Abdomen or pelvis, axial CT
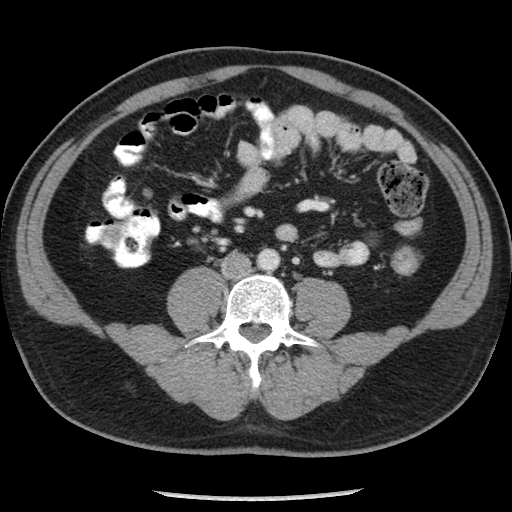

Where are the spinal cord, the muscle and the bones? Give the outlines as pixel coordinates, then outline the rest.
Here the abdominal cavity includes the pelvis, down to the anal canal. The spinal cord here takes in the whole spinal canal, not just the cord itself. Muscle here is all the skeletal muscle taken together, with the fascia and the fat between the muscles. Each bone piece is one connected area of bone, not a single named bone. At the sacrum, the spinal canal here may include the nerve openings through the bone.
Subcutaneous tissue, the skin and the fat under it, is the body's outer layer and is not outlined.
{"spinal_cord":[[[251,323],[253,323],[254,324],[263,324],[264,325],[267,325],[269,327],[270,331],[269,333],[263,339],[260,340],[256,343],[254,343],[250,341],[248,339],[247,339],[243,335],[242,335],[240,332],[240,330],[244,325],[246,325],[247,324],[250,324]]],"muscle":[{"outer":[[252,64],[302,66],[327,73],[347,84],[373,92],[385,98],[393,103],[401,110],[407,113],[434,134],[443,143],[447,145],[463,162],[470,172],[481,194],[489,216],[491,226],[492,252],[493,253],[492,255],[492,266],[486,295],[481,306],[471,317],[463,324],[455,328],[435,329],[434,330],[433,329],[428,329],[424,333],[422,333],[408,341],[400,344],[378,362],[368,367],[365,376],[350,388],[339,400],[329,401],[323,403],[309,412],[290,420],[277,419],[270,415],[258,402],[251,401],[239,416],[230,420],[222,421],[210,417],[193,403],[183,404],[175,401],[163,389],[155,383],[151,378],[147,376],[144,373],[143,368],[118,345],[110,344],[106,341],[101,340],[80,328],[61,326],[59,324],[48,321],[33,310],[27,304],[22,294],[16,266],[15,239],[16,238],[16,229],[21,209],[24,203],[26,194],[36,174],[50,155],[61,144],[72,137],[77,132],[104,114],[111,111],[116,106],[130,96],[151,86],[168,80],[203,73],[206,71],[212,70],[219,67],[229,66],[230,65],[251,65]],"hole":[[256,68],[407,131],[451,188],[465,242],[410,328],[334,337],[352,315],[344,287],[296,282],[290,325],[320,345],[264,352],[254,389],[243,352],[184,346],[224,318],[217,271],[190,267],[167,291],[182,335],[106,323],[54,270],[43,233],[105,128]]}],"bones":[{"outer":[[256,273],[272,275],[283,282],[291,301],[290,325],[320,345],[286,347],[281,344],[275,351],[264,352],[258,359],[261,380],[254,389],[248,373],[250,360],[243,352],[232,350],[226,342],[220,348],[212,342],[184,345],[215,329],[224,318],[230,287]],"hole":[[251,323],[253,323],[254,324],[263,324],[264,325],[267,325],[269,327],[270,331],[269,333],[263,339],[260,340],[256,343],[254,343],[250,341],[248,339],[247,339],[243,335],[242,335],[240,332],[240,330],[244,325],[246,325],[247,324],[250,324]]}],"abdominal_cavity":[[[256,68],[387,117],[445,178],[463,220],[463,252],[412,327],[334,337],[352,315],[340,283],[306,276],[290,294],[272,274],[229,286],[197,265],[177,276],[165,298],[180,335],[161,321],[106,323],[86,312],[54,270],[46,214],[92,140],[141,108]]],"torso":[[[221,45],[311,51],[378,70],[443,113],[491,177],[511,236],[503,321],[470,395],[456,411],[420,435],[386,448],[333,457],[155,451],[116,442],[73,424],[46,402],[30,377],[8,321],[0,271],[4,207],[17,173],[52,128],[108,82],[160,55]]]}